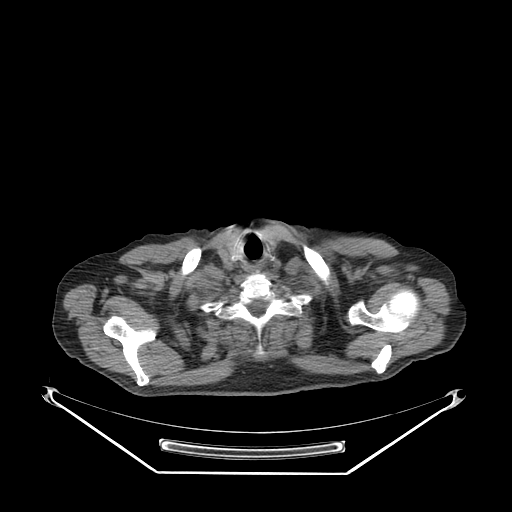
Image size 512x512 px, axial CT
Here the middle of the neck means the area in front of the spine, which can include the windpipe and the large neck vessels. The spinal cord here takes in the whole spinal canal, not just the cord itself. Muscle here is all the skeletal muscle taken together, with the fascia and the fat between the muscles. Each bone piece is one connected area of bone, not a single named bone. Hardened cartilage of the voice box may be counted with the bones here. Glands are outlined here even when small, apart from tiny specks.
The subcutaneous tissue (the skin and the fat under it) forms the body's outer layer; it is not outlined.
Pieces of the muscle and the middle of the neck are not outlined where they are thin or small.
{"right_arm":[[[78,262],[79,262],[79,287],[78,288],[77,295],[68,312],[66,313],[64,317],[59,322],[59,323],[58,323],[52,329],[51,326],[51,320],[52,319],[52,314],[53,313],[53,308],[54,307],[54,300],[55,299],[56,287],[62,276],[72,266]]],"bones":[{"outer":[[256,271],[263,272],[273,283],[286,286],[292,293],[312,296],[310,302],[302,305],[300,316],[276,314],[264,325],[261,343],[265,353],[261,356],[256,355],[258,340],[250,323],[241,318],[222,320],[212,311],[199,308],[206,301],[237,291],[246,275]],"hole":[[260,298],[264,301],[266,301],[267,302],[267,304],[266,305],[266,307],[265,308],[265,310],[264,312],[260,315],[258,315],[257,316],[256,315],[254,315],[252,314],[249,311],[247,307],[247,305],[249,304],[252,301],[253,299],[259,299]]},[[404,288],[411,288],[417,293],[419,296],[420,309],[418,314],[413,321],[402,331],[399,332],[378,331],[361,324],[352,325],[349,322],[348,309],[358,300],[362,299],[364,301],[365,307],[371,313],[376,313],[379,310],[382,304],[392,294],[398,290]],[[112,315],[121,316],[130,326],[136,330],[155,328],[155,339],[142,344],[138,348],[137,353],[140,365],[149,377],[149,382],[147,385],[140,386],[136,383],[136,374],[124,357],[122,344],[117,339],[112,338],[104,333],[103,325],[106,320]],[[303,245],[306,245],[318,252],[323,258],[324,261],[328,266],[329,268],[329,271],[330,272],[330,276],[329,277],[329,285],[328,286],[327,286],[320,279],[320,278],[317,275],[317,274],[314,271],[314,270],[304,257],[304,254],[303,253]],[[195,246],[199,246],[201,248],[201,257],[200,258],[200,259],[199,260],[196,267],[193,270],[193,271],[192,271],[190,273],[183,276],[181,273],[181,265],[182,264],[183,259],[184,258],[185,255],[187,253],[187,252],[189,250],[190,250]],[[244,228],[249,228],[259,232],[271,242],[274,252],[274,259],[272,261],[270,259],[270,256],[266,245],[258,237],[257,234],[253,231],[246,231],[239,239],[240,243],[237,245],[237,250],[236,251],[240,255],[240,260],[232,260],[231,259],[236,238]],[[384,344],[389,344],[391,346],[391,356],[390,357],[390,359],[387,364],[386,369],[382,373],[381,373],[380,374],[378,374],[377,373],[376,373],[375,370],[371,366],[371,362],[376,357],[377,354],[379,352],[379,351],[381,349],[381,348]]],"thyroid_glands":[[[264,229],[265,229],[266,230],[268,230],[270,232],[272,232],[275,235],[275,236],[277,239],[277,246],[274,249],[274,247],[273,246],[273,244],[272,243],[272,242],[266,236],[265,236],[262,233],[261,233],[259,231],[260,230],[263,230]],[[232,236],[237,236],[235,238],[235,241],[233,244],[233,248],[232,249],[232,252],[231,253],[231,256],[230,258],[228,256],[228,254],[227,253],[227,251],[225,247],[225,244],[226,242],[230,238],[232,237]]],"torso":[[[254,216],[306,226],[375,230],[393,237],[401,244],[394,257],[391,278],[397,299],[417,318],[457,339],[456,344],[446,352],[412,362],[383,381],[270,396],[138,396],[68,356],[52,330],[76,300],[80,261],[114,251],[148,233],[212,230]]],"left_arm":[[[402,244],[407,246],[421,247],[427,250],[444,262],[452,270],[456,280],[456,287],[458,297],[464,303],[467,311],[466,326],[459,339],[451,334],[420,319],[410,312],[398,299],[397,295],[394,291],[392,278],[393,277],[393,267],[395,257],[399,247]]],"middle_of_the_neck":[[[246,232],[256,234],[265,245],[271,262],[275,259],[274,250],[278,245],[281,248],[282,259],[278,269],[268,268],[262,271],[246,272],[228,271],[221,266],[217,255],[218,250],[224,247],[227,256],[232,261],[241,260],[241,255],[237,251],[238,245]]],"muscle":[{"outer":[[247,222],[279,223],[310,242],[339,236],[386,241],[400,252],[398,260],[447,288],[451,312],[445,338],[387,368],[392,346],[384,343],[370,362],[375,372],[308,373],[276,359],[247,361],[215,383],[154,386],[148,385],[138,353],[156,339],[156,328],[136,329],[112,314],[102,331],[121,344],[135,382],[99,366],[66,320],[66,292],[83,283],[117,290],[118,277],[131,273],[118,258],[136,246],[190,235],[208,239]],"holes":[[[246,226],[272,232],[281,248],[280,267],[263,270],[265,275],[292,293],[312,296],[302,305],[300,316],[276,314],[264,325],[265,353],[261,356],[256,355],[258,340],[250,323],[241,318],[222,320],[199,308],[237,291],[250,273],[225,270],[217,255]],[[404,288],[411,288],[417,293],[419,296],[420,309],[418,314],[413,321],[402,331],[399,332],[378,331],[361,324],[352,325],[349,322],[348,309],[358,300],[362,299],[364,301],[365,307],[371,313],[376,313],[379,310],[382,304],[392,294],[398,290]],[[303,245],[306,245],[318,252],[323,258],[324,261],[328,266],[329,268],[329,271],[330,272],[330,276],[329,277],[329,285],[328,286],[327,286],[320,279],[320,278],[317,275],[317,274],[314,271],[314,270],[304,257],[304,254],[303,253]],[[195,246],[199,246],[201,248],[201,257],[200,258],[200,259],[199,260],[196,267],[193,270],[193,271],[192,271],[190,273],[183,276],[181,273],[181,265],[182,264],[183,259],[184,258],[185,255],[187,253],[187,252],[189,250],[190,250]]]}],"spinal_cord":[[[260,298],[264,301],[266,301],[267,302],[267,304],[266,305],[266,307],[265,308],[265,310],[264,312],[260,315],[258,315],[257,316],[256,315],[254,315],[252,314],[249,311],[247,307],[247,305],[249,304],[252,301],[253,299],[259,299]]]}